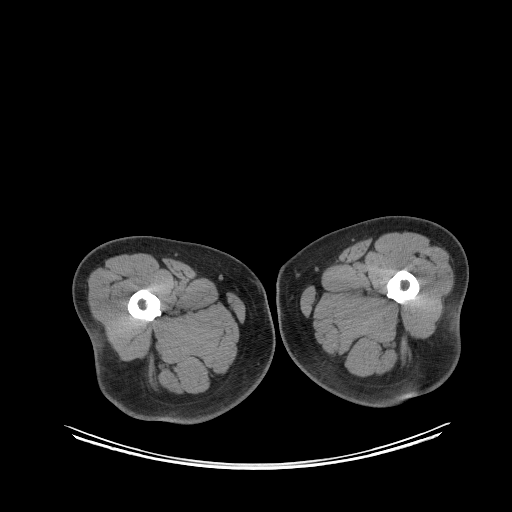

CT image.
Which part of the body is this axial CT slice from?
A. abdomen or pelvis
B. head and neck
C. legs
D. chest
C. legs
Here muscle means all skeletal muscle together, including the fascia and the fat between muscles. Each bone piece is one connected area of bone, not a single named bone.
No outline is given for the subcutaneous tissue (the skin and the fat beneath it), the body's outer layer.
The right leg is outlined by (133, 235) (150, 235) (195, 242) (219, 249) (246, 264) (264, 286) (275, 331) (275, 350) (271, 363) (264, 377) (249, 395) (214, 418) (195, 424) (176, 424) (165, 421) (137, 419) (118, 409) (99, 389) (92, 344) (73, 304) (73, 275) (82, 258) (93, 248) (112, 239). The muscle appears in 2 outlined pieces: piece 1: (132, 252) (143, 252) (180, 260) (228, 291) (234, 292) (244, 302) (245, 320) (235, 362) (222, 388) (204, 399) (181, 404) (165, 404) (155, 401) (150, 396) (139, 371) (130, 363) (118, 360) (118, 357) (105, 338) (103, 329) (91, 315) (87, 303) (87, 276) (107, 258); inner edge: (142, 288) (147, 288) (154, 295) (156, 295) (160, 300) (160, 309) (162, 313) (161, 315) (155, 317) (154, 319) (151, 321) (144, 321) (143, 320) (136, 319) (132, 317) (130, 315) (127, 309) (127, 303) (130, 296) (133, 293) (134, 293) (139, 289) (141, 289); piece 2: (406, 230) (424, 234) (447, 250) (454, 270) (454, 285) (447, 308) (435, 332) (416, 346) (418, 354) (416, 369) (405, 380) (396, 384) (384, 387) (361, 385) (346, 379) (317, 343) (312, 329) (301, 312) (300, 295) (307, 284) (332, 264) (343, 249) (354, 242) (380, 233), around a hole outlined by (400, 270) (401, 271) (407, 271) (410, 273) (412, 273) (418, 279) (419, 281) (419, 285) (420, 286) (419, 288) (419, 291) (416, 297) (414, 299) (409, 300) (403, 304) (400, 304) (393, 299) (389, 298) (386, 296) (386, 293) (387, 292) (386, 283) (387, 281) (393, 277). The bones appear in 2 outlined pieces: piece 1: (142, 288) (147, 288) (154, 295) (156, 295) (160, 300) (160, 309) (162, 313) (161, 315) (155, 317) (154, 319) (151, 321) (144, 321) (143, 320) (136, 319) (132, 317) (130, 315) (127, 309) (127, 303) (130, 296) (133, 293) (134, 293) (139, 289) (141, 289); piece 2: (400, 270) (401, 271) (407, 271) (410, 273) (412, 273) (418, 279) (419, 281) (419, 285) (420, 286) (419, 288) (419, 291) (416, 297) (414, 299) (409, 300) (403, 304) (400, 304) (393, 299) (389, 298) (386, 296) (386, 293) (387, 292) (386, 283) (387, 281) (393, 277). The left leg is outlined by (389, 215) (420, 217) (436, 222) (449, 230) (458, 239) (465, 251) (469, 267) (469, 280) (460, 312) (460, 357) (448, 379) (436, 389) (412, 397) (398, 405) (371, 407) (349, 401) (324, 389) (308, 377) (292, 360) (279, 331) (276, 279) (282, 264) (318, 237) (354, 223).